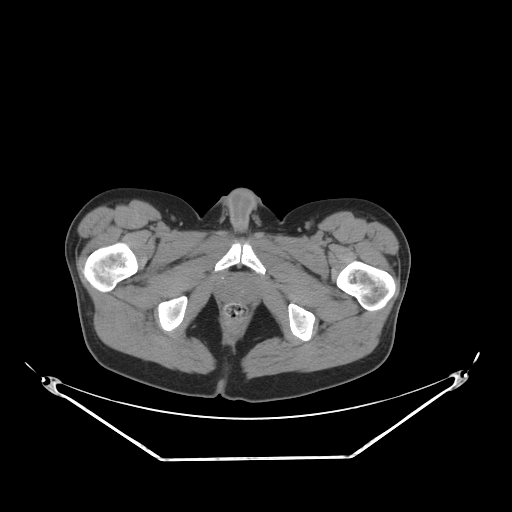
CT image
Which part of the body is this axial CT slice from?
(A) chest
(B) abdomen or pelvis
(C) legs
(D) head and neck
(B) abdomen or pelvis
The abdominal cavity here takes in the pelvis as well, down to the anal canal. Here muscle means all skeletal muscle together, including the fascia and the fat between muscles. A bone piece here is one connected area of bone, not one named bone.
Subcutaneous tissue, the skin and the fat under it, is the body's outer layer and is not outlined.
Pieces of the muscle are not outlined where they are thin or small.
The abdominal cavity is outlined by 235,265 237,266 243,265 249,268 252,271 256,278 258,285 258,296 257,300 249,314 249,317 241,331 235,337 228,338 224,335 224,330 221,318 221,306 220,301 216,294 216,285 222,274 226,271 226,269. The bones appear in 5 outlined pieces: piece 1: 354,260 359,260 364,263 366,263 372,266 374,266 380,269 382,269 388,272 393,277 395,282 395,291 392,297 381,309 370,311 363,308 360,305 358,301 353,296 344,292 336,285 336,277 338,273 347,264; piece 2: 117,242 123,242 127,244 130,249 134,253 138,261 138,270 131,276 125,278 118,282 114,288 110,291 102,292 94,288 89,283 85,278 82,272 82,269 84,266 84,263 87,257 94,250 100,247 110,245; piece 3: 236,241 238,241 242,244 246,241 250,244 255,254 264,265 266,269 264,274 256,273 252,269 242,264 240,262 237,264 232,265 223,270 217,271 216,272 214,271 215,263 229,249 231,245; piece 4: 182,295 185,295 187,297 187,304 186,305 186,308 185,309 184,317 181,323 176,328 171,331 166,331 162,329 159,324 159,319 158,318 158,313 157,312 157,306 158,304 162,301 168,300 172,298 175,298; piece 5: 290,302 292,302 305,308 307,310 312,312 315,316 315,320 314,321 313,329 312,330 312,335 311,336 311,338 307,341 303,341 299,338 296,337 290,330 290,328 289,327 289,318 288,317 288,305. The torso is outlined by 237,186 252,189 279,218 310,201 358,197 379,204 397,220 409,244 411,267 393,346 378,368 309,395 248,403 164,391 109,371 93,358 83,339 64,256 65,235 78,210 104,190 139,187 177,195 202,215. The muscle is outlined by 120,198 149,202 179,229 227,230 237,237 257,231 295,236 336,211 367,213 390,228 399,242 399,293 383,326 379,343 371,353 350,363 246,380 241,371 241,359 256,344 281,336 279,325 261,302 234,349 223,346 218,307 211,295 187,329 187,333 203,342 217,360 217,368 208,374 172,370 107,346 94,330 93,304 77,272 77,226 93,208, around holes outlined by 236,241 242,244 246,241 248,242 266,270 264,274 252,271 258,285 257,300 241,331 235,337 228,338 224,335 221,318 221,306 216,294 216,285 218,280 226,270 224,269 216,272 214,271 214,266 215,263 and by 354,260 359,260 364,263 366,263 372,266 374,266 380,269 382,269 388,272 393,277 395,282 395,291 392,297 381,309 370,311 363,308 360,305 358,301 353,296 344,292 336,285 336,277 338,273 347,264 and by 117,242 123,242 127,244 130,249 134,253 138,261 138,270 131,276 125,278 118,282 114,288 110,291 102,292 94,288 89,283 85,278 82,272 82,269 84,266 84,263 87,257 94,250 100,247 110,245 and by 182,295 185,295 187,297 187,304 186,305 186,308 185,309 184,317 181,323 176,328 171,331 166,331 162,329 159,324 159,319 158,318 158,313 157,312 157,306 158,304 162,301 168,300 172,298 175,298 and by 290,302 292,302 305,308 307,310 312,312 315,316 315,320 314,321 313,329 312,330 312,335 311,336 311,338 307,341 303,341 299,338 296,337 290,330 290,328 289,327 289,318 288,317 288,305.